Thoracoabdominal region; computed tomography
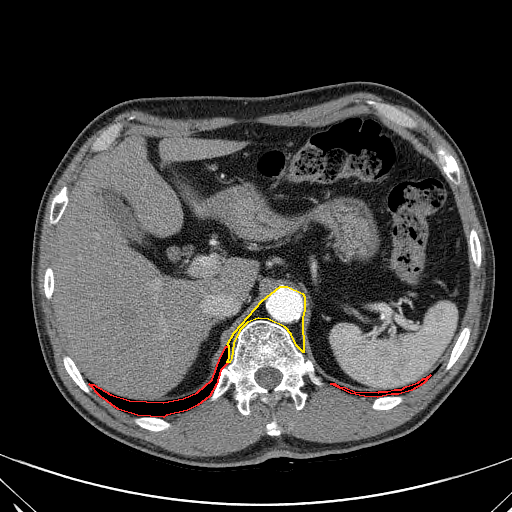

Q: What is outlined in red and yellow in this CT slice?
A: red: thoracic cavity; yellow: mediastinum.
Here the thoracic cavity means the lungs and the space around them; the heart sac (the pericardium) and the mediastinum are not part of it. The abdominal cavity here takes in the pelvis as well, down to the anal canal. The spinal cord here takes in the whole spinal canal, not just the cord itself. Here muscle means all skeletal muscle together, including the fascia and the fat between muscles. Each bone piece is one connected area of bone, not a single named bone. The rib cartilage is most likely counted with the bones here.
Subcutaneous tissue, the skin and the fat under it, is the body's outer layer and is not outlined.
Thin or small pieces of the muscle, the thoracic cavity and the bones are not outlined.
thoracic cavity 1: (226, 346) (228, 346) (228, 357) (226, 362) (227, 363) (220, 370) (216, 384) (209, 396) (197, 405) (187, 410) (166, 415) (163, 417) (137, 415) (118, 409) (100, 396) (89, 384) (93, 384) (110, 394) (129, 400) (163, 402) (183, 398) (197, 392) (212, 379) (220, 357)
thoracic cavity 2: (430, 375) (423, 383) (411, 390) (398, 394) (391, 394) (377, 397) (364, 396) (350, 393) (331, 384) (331, 383) (334, 383) (338, 386) (345, 387) (354, 391) (378, 392) (379, 391) (387, 391) (394, 389) (401, 389) (406, 386) (418, 382) (423, 378) (425, 378)
mediastinum: (280, 286) (287, 286) (302, 293) (304, 296) (304, 310) (302, 317) (303, 352) (296, 345) (291, 334) (285, 327) (268, 319) (258, 318) (247, 322) (239, 330) (233, 343) (231, 358) (229, 362) (227, 362) (229, 357) (229, 346) (227, 344) (234, 332) (262, 300)
muscle: (354, 92) (372, 93) (381, 97) (387, 102) (396, 105) (405, 106) (415, 111) (423, 117) (448, 142) (458, 157) (463, 169) (469, 187) (469, 191) (474, 205) (476, 215) (482, 227) (484, 234) (485, 286) (483, 299) (481, 303) (479, 332) (474, 346) (468, 358) (458, 372) (423, 409) (404, 423) (374, 436) (356, 440) (341, 441) (332, 443) (310, 441) (286, 434) (283, 434) (281, 436) (277, 437) (283, 432) (283, 430) (278, 424) (276, 418) (273, 417) (265, 425) (265, 432) (267, 435) (263, 436) (259, 440) (248, 445) (243, 449) (234, 451) (225, 455) (189, 456) (169, 451) (160, 446) (155, 445) (151, 442) (124, 434) (108, 426) (91, 414) (70, 393) (57, 372) (53, 355) (53, 349) (50, 343) (49, 337) (46, 332) (43, 313) (39, 304) (40, 298) (38, 293) (38, 285) (37, 284) (38, 283) (37, 269) (39, 261) (40, 238) (47, 201) (58, 178) (62, 174) (80, 147) (90, 136) (108, 124) (118, 114) (131, 109) (139, 109) (148, 112) (150, 114) (172, 118) (208, 118) (215, 116) (225, 116) (237, 119) (253, 118) (267, 114) (281, 113) (302, 109) (337, 98) (345, 94); inner edge: (367, 99) (409, 115) (417, 123) (409, 130) (435, 158) (441, 145) (459, 168) (460, 183) (449, 183) (466, 238) (472, 228) (477, 233) (481, 264) (477, 268) (469, 253) (461, 326) (470, 327) (470, 333) (448, 370) (446, 359) (419, 386) (399, 393) (401, 402) (383, 410) (372, 408) (373, 396) (344, 391) (322, 378) (319, 386) (304, 376) (307, 398) (301, 409) (282, 393) (273, 405) (258, 396) (251, 399) (246, 415) (236, 407) (231, 384) (215, 400) (164, 416) (171, 425) (160, 431) (138, 425) (136, 414) (76, 384) (63, 363) (70, 353) (54, 299) (44, 292) (56, 229) (49, 215) (54, 196) (64, 185) (70, 193) (104, 130) (117, 122) (123, 130) (143, 126) (188, 133) (246, 123) (308, 127) (355, 108) (373, 110)
torso: (348, 81) (384, 84) (417, 100) (449, 133) (467, 162) (493, 245) (495, 287) (485, 337) (463, 378) (411, 432) (309, 459) (276, 457) (245, 467) (194, 467) (148, 455) (94, 427) (63, 397) (46, 367) (31, 300) (36, 215) (70, 144) (94, 117) (129, 99) (268, 96)
bones 1: (258, 319) (285, 328) (323, 382) (319, 386) (303, 377) (305, 384) (301, 389) (307, 398) (301, 409) (282, 393) (273, 405) (258, 396) (251, 399) (249, 414) (242, 414) (232, 395) (233, 384) (215, 400) (208, 399) (221, 370) (232, 359) (238, 333) (247, 323); inner edge: (269, 366) (272, 368) (275, 368) (276, 369) (277, 369) (282, 374) (282, 377) (281, 378) (279, 383) (270, 390) (267, 388) (265, 388) (264, 387) (261, 386) (255, 380) (255, 378) (254, 377) (254, 375) (255, 374) (255, 373) (260, 368) (264, 368) (265, 367) (268, 367)
bones 2: (367, 99) (371, 99) (372, 100) (375, 100) (379, 102) (387, 103) (396, 107) (414, 119) (417, 123) (417, 126) (415, 128) (410, 129) (404, 126) (401, 123) (397, 122) (395, 120) (376, 111) (375, 109) (369, 105) (366, 104) (365, 101)
bones 3: (438, 145) (441, 145) (443, 146) (453, 156) (453, 157) (455, 159) (455, 161) (459, 168) (459, 172) (460, 173) (460, 183) (458, 185) (456, 185) (454, 184) (451, 181) (450, 181) (444, 173) (443, 171) (443, 167) (441, 163) (438, 160) (438, 158) (436, 154) (436, 148)
bones 4: (64, 185) (65, 185) (68, 189) (68, 193) (67, 194) (67, 196) (68, 197) (68, 201) (67, 202) (67, 205) (61, 217) (59, 219) (57, 223) (56, 224) (50, 224) (49, 223) (49, 215) (50, 214) (50, 207) (51, 206) (51, 203) (52, 202) (52, 200) (54, 196)
bones 5: (117, 122) (122, 122) (123, 123) (123, 127) (120, 131) (119, 133) (119, 135) (118, 135) (117, 137) (116, 137) (115, 139) (105, 149) (102, 149) (99, 151) (93, 151) (91, 149) (91, 146) (93, 142) (96, 139) (96, 138) (104, 130) (105, 130) (112, 124) (114, 124)
bones 6: (465, 326) (468, 326) (470, 327) (470, 333) (469, 334) (469, 338) (467, 341) (467, 343) (464, 349) (462, 351) (461, 354) (453, 364) (453, 365) (448, 370) (445, 370) (445, 368) (446, 367) (446, 365) (447, 364) (450, 353) (460, 334) (460, 332) (462, 328)
bones 7: (64, 355) (68, 355) (71, 358) (71, 359) (77, 367) (83, 379) (89, 385) (89, 386) (91, 388) (90, 390) (90, 393) (89, 394) (88, 393) (86, 393) (82, 389) (81, 389) (76, 384) (76, 383) (72, 379) (72, 378) (67, 372) (64, 366) (63, 360) (62, 359)
bones 8: (138, 416) (149, 416) (150, 417) (159, 417) (160, 418) (163, 418) (165, 420) (168, 421) (171, 425) (170, 427) (166, 429) (161, 430) (160, 431) (153, 431) (152, 430) (149, 430) (135, 423) (135, 422) (133, 420) (135, 417) (137, 417)
bones 9: (472, 228) (473, 228) (477, 233) (477, 236) (479, 239) (479, 243) (480, 244) (480, 247) (481, 248) (481, 264) (479, 268) (477, 268) (476, 267) (472, 260) (472, 258) (471, 257) (471, 253) (470, 252) (470, 247) (468, 243) (469, 233) (470, 232) (470, 230)
bones 10: (391, 395) (401, 395) (403, 397) (403, 399) (402, 401) (400, 402) (397, 405) (389, 409) (384, 409) (383, 410) (378, 410) (377, 409) (374, 409) (372, 408) (371, 405) (372, 404) (372, 402) (373, 400) (375, 398) (377, 398) (378, 397) (383, 397) (384, 396) (390, 396)
bones 11: (49, 266) (50, 267) (51, 267) (51, 268) (52, 269) (52, 271) (53, 272) (53, 292) (52, 293) (52, 296) (50, 299) (48, 299) (47, 298) (46, 298) (46, 297) (45, 296) (45, 293) (44, 292) (44, 275) (45, 274) (45, 270) (46, 269) (46, 268)
bones 12: (273, 418) (275, 418) (275, 419) (276, 420) (276, 422) (277, 423) (277, 424) (281, 428) (281, 429) (282, 430) (282, 432) (279, 435) (278, 435) (277, 436) (271, 436) (270, 435) (268, 435) (267, 434) (267, 433) (266, 432) (266, 425) (268, 423) (269, 423) (273, 419)
abdominal cavity: (355, 108) (421, 138) (449, 181) (470, 276) (462, 327) (447, 359) (401, 388) (360, 391) (329, 383) (303, 353) (305, 296) (280, 285) (240, 322) (197, 391) (149, 401) (88, 383) (56, 321) (52, 250) (68, 194) (93, 154) (130, 127) (188, 133) (246, 123) (308, 127)
spinal cord: (269, 366) (272, 368) (275, 368) (276, 369) (277, 369) (282, 374) (282, 377) (281, 378) (279, 383) (270, 390) (267, 388) (265, 388) (264, 387) (261, 386) (255, 380) (255, 378) (254, 377) (254, 375) (255, 374) (255, 373) (260, 368) (264, 368) (265, 367) (268, 367)